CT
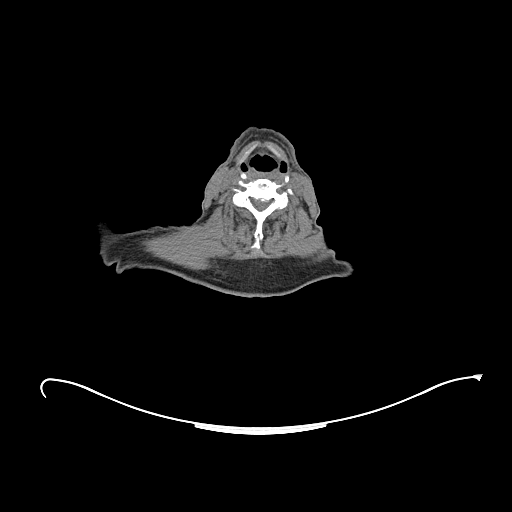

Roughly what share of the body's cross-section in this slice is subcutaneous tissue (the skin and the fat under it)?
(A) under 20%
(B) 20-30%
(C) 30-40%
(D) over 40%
Answer: (C) 30-40%
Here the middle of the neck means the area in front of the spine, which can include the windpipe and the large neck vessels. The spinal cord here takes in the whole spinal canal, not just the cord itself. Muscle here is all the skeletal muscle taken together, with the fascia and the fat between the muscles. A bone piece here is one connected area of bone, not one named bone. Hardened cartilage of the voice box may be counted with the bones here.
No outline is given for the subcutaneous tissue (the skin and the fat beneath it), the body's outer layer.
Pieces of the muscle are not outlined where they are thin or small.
The spinal cord is outlined by (251, 198) (252, 198) (253, 199) (255, 199) (256, 200) (260, 200) (262, 202) (264, 202) (265, 201) (270, 201) (270, 202) (269, 203) (269, 204) (264, 209) (263, 209) (262, 210) (258, 210) (253, 205) (253, 204) (252, 203) (252, 202) (251, 201). The head and neck is outlined by (251, 125) (273, 128) (282, 133) (291, 142) (299, 164) (312, 179) (317, 201) (320, 206) (320, 213) (316, 222) (323, 228) (324, 236) (300, 255) (286, 263) (243, 264) (210, 241) (192, 222) (201, 213) (201, 201) (206, 182) (215, 168) (226, 158) (234, 140) (244, 129). The muscle is outlined by (251, 134) (279, 140) (287, 148) (297, 171) (309, 181) (316, 209) (313, 224) (325, 257) (278, 259) (262, 271) (249, 271) (236, 266) (222, 274) (191, 270) (153, 257) (130, 244) (135, 238) (151, 232) (173, 232) (203, 223) (209, 216) (205, 204) (210, 181) (236, 155) with a hole at (256, 144) (266, 147) (269, 144) (278, 153) (277, 159) (286, 163) (289, 178) (283, 188) (290, 188) (292, 191) (288, 196) (287, 205) (273, 211) (264, 221) (259, 249) (251, 248) (256, 220) (247, 209) (235, 205) (232, 201) (234, 193) (232, 188) (241, 179) (239, 162). The middle of the neck is outlined by (257, 146) (265, 146) (278, 160) (284, 161) (286, 163) (286, 166) (287, 167) (286, 168) (286, 171) (283, 176) (277, 178) (272, 178) (271, 179) (267, 177) (254, 178) (253, 177) (247, 177) (246, 176) (246, 174) (240, 168) (240, 165) (246, 160) (249, 154). The torso is outlined by (102, 219) (107, 220) (118, 232) (151, 225) (192, 223) (210, 242) (243, 265) (286, 264) (325, 236) (336, 256) (349, 261) (354, 272) (348, 277) (331, 277) (285, 295) (270, 297) (223, 293) (158, 270) (135, 269) (117, 274) (115, 266) (104, 265) (98, 255) (94, 235). The bones appear in 3 outlined pieces: piece 1: (240, 169) (246, 177) (242, 180) (244, 182) (267, 178) (280, 184) (284, 182) (286, 172) (289, 177) (283, 188) (290, 188) (292, 194) (288, 196) (285, 207) (276, 209) (264, 221) (259, 249) (251, 248) (256, 220) (247, 209) (235, 205) (232, 201) (232, 188) (241, 179); inner edge: (251, 198) (252, 198) (253, 199) (255, 199) (256, 200) (260, 200) (262, 202) (264, 202) (265, 201) (270, 201) (270, 202) (269, 203) (269, 204) (264, 209) (263, 209) (262, 210) (258, 210) (253, 205) (253, 204) (252, 203) (252, 202) (251, 201); piece 2: (256, 144) (256, 146) (248, 154) (248, 155) (247, 156) (247, 157) (245, 159) (245, 160) (244, 160) (240, 164) (239, 163) (239, 162) (240, 161) (240, 160) (243, 157) (243, 156) (245, 154) (245, 153) (251, 147) (252, 147) (254, 145) (255, 145); piece 3: (268, 144) (269, 144) (278, 153) (278, 156) (277, 156) (276, 155) (275, 155) (267, 147) (267, 145).